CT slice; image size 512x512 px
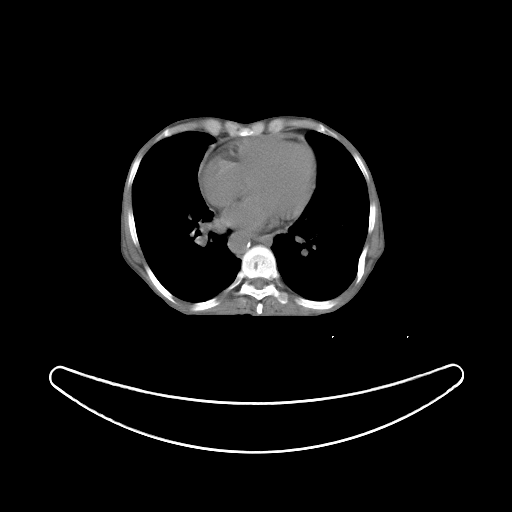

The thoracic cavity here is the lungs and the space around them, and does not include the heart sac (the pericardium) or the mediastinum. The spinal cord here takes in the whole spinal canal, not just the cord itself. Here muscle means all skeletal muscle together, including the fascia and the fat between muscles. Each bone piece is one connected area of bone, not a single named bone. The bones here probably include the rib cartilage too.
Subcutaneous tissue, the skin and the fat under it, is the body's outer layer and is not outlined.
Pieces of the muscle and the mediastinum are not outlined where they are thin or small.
The bones appear in 10 outlined pieces: piece 1: 256,245 265,246 272,251 283,283 283,286 279,288 288,292 289,295 284,304 272,295 265,296 260,301 262,303 261,314 256,313 258,301 253,296 235,295 236,288 221,293 235,279 241,268 243,255 250,247 with a hole at 254,278 264,278 267,281 267,282 266,283 266,284 265,285 264,285 261,288 256,288 251,283 251,280 252,279 253,279; piece 2: 277,118 321,123 335,132 338,140 308,127 286,126 278,132 242,136 223,131 212,135 199,125 196,129 154,141 163,130 179,124 194,122 199,125 207,119 215,119 222,123 230,121 249,126 261,121 266,124; piece 3: 297,295 301,296 306,299 310,299 311,300 315,300 316,301 327,300 328,299 332,299 337,297 338,298 338,302 333,307 329,309 323,309 322,310 321,309 313,309 312,308 308,308 297,304 294,301 294,297; piece 4: 145,263 146,263 149,266 150,269 152,271 156,278 159,281 159,282 175,297 176,303 173,303 169,300 168,300 157,290 157,289 154,286 154,285 151,282 151,281 148,277 148,275 144,267 144,264; piece 5: 215,296 218,296 218,299 219,300 219,304 215,306 213,306 210,308 208,308 205,310 200,310 199,311 192,311 190,309 190,306 192,303 194,302 201,302 202,301 205,301; piece 6: 139,152 141,154 142,154 142,158 137,168 137,170 136,171 135,176 133,179 133,182 132,183 132,185 130,188 127,188 126,187 126,180 127,179 128,172 130,169 130,166 134,158; piece 7: 131,205 132,206 132,211 133,212 133,218 134,219 134,223 135,224 135,229 136,230 138,241 140,245 140,247 139,248 134,244 132,240 132,238 130,234 129,226 128,225 127,214 128,213 128,208 129,206; piece 8: 365,244 367,245 367,251 365,255 365,263 364,264 363,274 361,277 360,281 358,283 354,283 353,281 355,279 356,277 356,274 357,273 357,268 358,267 358,260 359,259 360,254 363,249 363,247; piece 9: 370,200 373,201 375,203 375,204 376,205 376,212 375,213 375,221 374,222 374,225 373,226 373,229 372,230 372,231 369,234 368,234 367,233 367,230 368,229 368,222 369,221 369,202 370,201; piece 10: 352,152 356,152 359,154 359,155 362,159 365,166 367,168 367,169 369,172 369,174 370,175 370,179 368,182 366,182 366,180 365,179 360,168 358,166 356,161 354,159 353,156 351,154 351,153. The thoracic cavity appears in 2 outlined pieces: piece 1: 194,130 204,131 214,139 206,147 196,180 200,194 213,214 212,218 219,224 221,232 225,233 227,249 240,260 240,268 231,283 217,295 192,302 168,290 148,264 136,229 132,186 143,157 154,144 175,134; piece 2: 311,130 337,140 350,153 365,180 369,200 366,236 357,260 355,277 341,293 335,297 321,300 306,298 299,295 284,284 277,267 276,257 272,250 275,237 285,233 297,220 317,186 318,161 312,146 305,137. The pericardium is outlined by 279,132 302,135 311,146 315,154 317,161 317,175 315,188 311,197 294,221 286,227 280,228 273,232 253,235 227,227 215,217 206,204 199,188 198,170 204,156 213,144 232,134 239,134 242,137 245,137. The torso is outlined by 282,114 319,119 343,134 359,150 371,171 381,202 385,236 384,251 358,293 331,313 315,317 184,315 158,297 126,264 120,253 120,205 130,163 139,148 152,135 167,124 182,118 218,116 238,122 251,122. The mediastinum appears in 2 outlined pieces: piece 1: 214,215 214,217 227,228 234,229 253,236 267,235 289,226 285,232 279,233 274,237 271,249 265,245 256,244 250,246 240,259 228,249 226,245 227,240 226,233 222,232 220,224 217,221 215,221 213,218; piece 2: 221,133 226,133 228,135 226,135 220,138 214,143 213,143 211,147 210,147 209,149 207,150 205,155 204,155 206,152 207,147 210,144 213,143 215,141 215,139 213,136 218,135. The spinal cord is outlined by 254,278 264,278 267,281 267,282 266,283 266,284 265,285 264,285 261,288 256,288 251,283 251,280 252,279 253,279. The muscle appears in 6 outlined pieces: piece 1: 371,178 378,203 381,245 357,289 343,303 330,309 339,302 337,296 341,294 352,282 358,284 364,274 366,255 368,251 368,245 365,241 367,234 369,235 374,229 377,212 376,203 369,199 367,183; piece 2: 235,289 233,292 235,296 248,295 253,297 257,301 255,312 187,312 174,306 164,298 173,304 177,303 176,297 184,301 191,302 189,309 192,312 199,312 219,305 220,300 218,295 220,293 222,295 226,294; piece 3: 125,187 127,189 131,188 131,204 128,206 126,214 129,234 133,244 138,249 141,248 146,260 146,262 143,264 143,267 148,279 159,293 152,287 149,282 129,260 124,251 123,247 124,241 123,203 124,202; piece 4: 284,285 291,291 297,294 293,297 293,301 297,305 313,310 321,310 322,311 329,310 314,313 262,313 263,303 261,301 267,296 274,297 280,304 283,305 288,302 290,296 289,292 285,289 280,288 283,287; piece 5: 339,135 340,136 341,136 344,139 345,139 355,149 355,150 356,151 352,151 351,152 350,152 344,146 344,145 340,141 339,141 339,140 340,139 340,138 339,137; piece 6: 153,138 154,138 153,141 155,143 154,143 151,146 151,147 150,147 149,148 149,149 144,154 144,155 143,156 143,154 142,153 141,153 140,152 140,151 142,149 142,148.